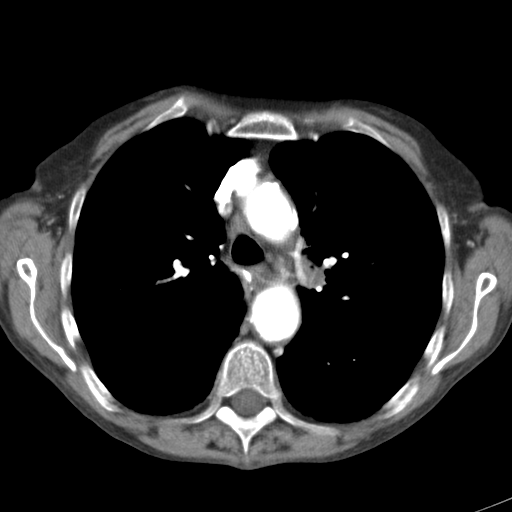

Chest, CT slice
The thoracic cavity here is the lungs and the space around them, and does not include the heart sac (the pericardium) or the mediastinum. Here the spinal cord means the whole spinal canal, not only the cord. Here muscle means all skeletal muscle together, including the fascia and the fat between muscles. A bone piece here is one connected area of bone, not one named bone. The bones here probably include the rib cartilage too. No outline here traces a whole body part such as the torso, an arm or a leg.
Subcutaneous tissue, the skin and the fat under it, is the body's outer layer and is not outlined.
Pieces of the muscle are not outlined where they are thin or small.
{"spinal_cord":[[[245,388],[249,388],[250,389],[252,389],[254,390],[256,392],[257,392],[262,397],[263,399],[263,404],[262,405],[262,407],[255,414],[251,416],[243,416],[242,415],[240,415],[238,414],[232,407],[232,397],[236,393],[239,392],[242,389],[244,389]]],"mediastinum":[[[248,139],[280,142],[271,150],[269,163],[295,204],[307,245],[304,252],[313,266],[313,287],[297,288],[302,314],[300,327],[276,358],[275,367],[266,350],[254,341],[232,345],[247,307],[240,277],[221,255],[225,224],[214,201],[227,170],[246,155]]],"bones":[{"outer":[[247,341],[261,346],[271,359],[275,384],[282,392],[285,406],[298,417],[336,428],[339,433],[317,434],[295,427],[277,417],[251,438],[248,451],[244,453],[237,433],[214,415],[198,423],[164,422],[191,416],[202,410],[209,402],[227,351],[235,344]],"hole":[[245,388],[249,388],[250,389],[252,389],[254,390],[256,392],[257,392],[262,397],[263,399],[263,404],[262,405],[262,407],[255,414],[251,416],[243,416],[242,415],[240,415],[238,414],[232,407],[232,397],[236,393],[239,392],[242,389],[244,389]]},[[23,257],[32,259],[37,268],[34,310],[38,321],[78,368],[83,362],[91,366],[97,377],[116,399],[120,411],[109,411],[104,408],[91,393],[80,371],[78,369],[72,371],[33,324],[29,310],[30,288],[20,277],[16,268],[17,260]],[[263,109],[280,112],[286,115],[293,123],[293,125],[296,131],[299,134],[300,138],[297,140],[283,140],[282,141],[279,141],[274,139],[266,139],[265,138],[243,138],[242,137],[228,137],[226,136],[224,133],[232,127],[245,113],[252,110],[262,110]],[[485,271],[494,274],[497,282],[495,287],[484,295],[479,302],[475,332],[462,349],[437,373],[432,375],[430,369],[425,367],[426,361],[422,357],[431,336],[439,326],[444,325],[445,327],[442,347],[437,360],[458,347],[471,325],[476,279],[481,272]],[[416,375],[419,377],[419,379],[418,380],[418,382],[419,383],[419,388],[417,392],[410,401],[410,402],[408,403],[400,411],[387,418],[377,418],[377,416],[380,413],[380,408],[382,406],[382,405],[385,402],[386,402],[411,377],[415,376]],[[181,95],[192,96],[197,98],[199,100],[199,102],[193,105],[187,111],[185,115],[181,117],[177,117],[176,118],[173,118],[172,119],[164,121],[148,130],[141,131],[141,130],[157,115],[158,115],[164,110],[167,109],[178,98],[178,97]],[[342,116],[353,116],[359,119],[362,122],[373,127],[375,129],[376,129],[379,132],[379,133],[394,148],[396,152],[388,148],[379,141],[365,134],[342,129],[340,126],[340,124],[338,122],[338,119]],[[64,306],[67,306],[71,310],[73,314],[73,316],[74,317],[78,331],[81,337],[81,340],[80,341],[78,341],[76,343],[76,348],[74,350],[70,346],[69,342],[67,340],[67,338],[65,335],[65,333],[61,323],[60,312],[62,307]],[[81,185],[85,185],[87,190],[86,191],[86,194],[85,195],[85,197],[80,210],[80,213],[79,214],[79,217],[78,218],[77,224],[75,228],[75,231],[74,232],[71,232],[69,230],[69,211],[70,210],[70,205],[71,204],[72,197],[75,191]],[[67,251],[70,251],[72,253],[72,269],[71,270],[71,283],[70,284],[70,288],[68,290],[68,292],[67,293],[67,295],[66,297],[64,297],[61,292],[61,286],[60,285],[60,266],[61,265],[61,262],[62,261],[62,259],[65,253]],[[446,269],[449,269],[451,271],[451,275],[452,276],[452,280],[453,281],[453,299],[452,300],[452,302],[451,303],[451,306],[450,307],[450,310],[446,316],[445,315],[445,314],[442,309],[442,280],[443,279],[443,274],[444,273],[444,270],[445,270]],[[438,203],[441,204],[444,207],[448,215],[448,222],[449,223],[450,238],[449,239],[449,246],[447,250],[445,250],[445,248],[444,247],[443,239],[442,238],[441,230],[440,229],[440,225],[439,224],[438,216],[437,215],[437,212],[436,211],[436,206]]],"muscle":[[[335,104],[371,113],[416,140],[429,178],[453,214],[459,253],[486,214],[511,221],[511,302],[502,325],[482,352],[405,418],[325,457],[243,464],[176,456],[76,399],[17,337],[0,305],[0,212],[18,198],[33,198],[63,226],[74,191],[68,211],[73,251],[64,253],[59,266],[60,292],[66,298],[70,289],[72,311],[62,306],[59,318],[69,346],[74,351],[82,341],[90,364],[78,367],[39,321],[33,259],[19,257],[15,268],[29,288],[32,324],[65,365],[79,371],[104,409],[120,412],[118,401],[136,412],[166,416],[208,400],[191,415],[163,422],[198,424],[214,416],[236,433],[244,454],[277,418],[317,435],[340,433],[287,407],[328,423],[357,421],[378,410],[377,419],[400,412],[420,388],[420,377],[411,376],[419,360],[434,376],[463,349],[477,330],[480,302],[498,279],[487,270],[477,275],[469,328],[456,348],[437,359],[446,327],[436,324],[454,299],[452,271],[444,269],[448,212],[439,202],[434,206],[373,126],[342,115],[341,129],[301,137],[286,114],[268,109],[300,112]],[[182,89],[207,94],[240,109],[264,108],[248,110],[228,129],[215,132],[206,121],[205,123],[187,115],[200,100],[192,95],[181,94],[115,150],[101,167],[88,190],[85,184],[81,184],[75,190],[80,181],[86,177],[89,159],[106,130],[148,104]]],"thoracic_cavity":[[[186,115],[206,122],[215,133],[247,139],[245,155],[226,170],[213,195],[224,224],[225,239],[220,255],[239,277],[246,311],[237,335],[223,356],[209,399],[180,413],[143,413],[117,400],[92,367],[73,313],[75,232],[87,192],[116,150],[140,132]],[[338,130],[372,138],[411,169],[435,208],[444,264],[441,309],[409,378],[370,415],[328,422],[305,417],[286,406],[276,384],[277,358],[302,324],[298,288],[314,287],[314,266],[305,252],[308,245],[296,204],[274,172],[270,155],[283,141],[310,139]]]}